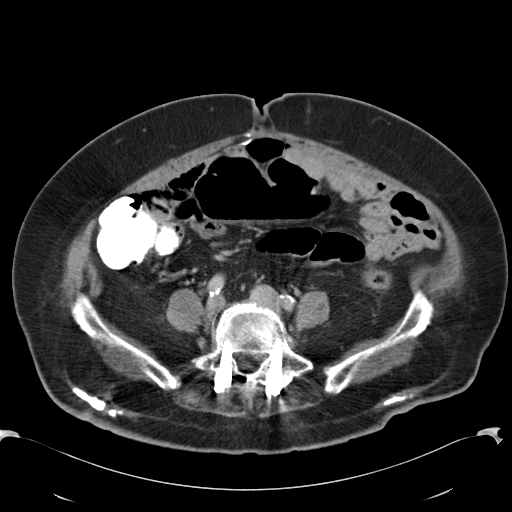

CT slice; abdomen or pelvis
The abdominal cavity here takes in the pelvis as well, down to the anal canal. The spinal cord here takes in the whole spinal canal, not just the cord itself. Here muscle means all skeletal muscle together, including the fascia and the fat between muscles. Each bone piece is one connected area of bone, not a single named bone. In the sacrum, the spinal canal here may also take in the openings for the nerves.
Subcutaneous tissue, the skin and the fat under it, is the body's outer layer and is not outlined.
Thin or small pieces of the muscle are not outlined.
Outlines:
bones 1: 248 300; 265 304; 279 314; 289 337; 288 345; 295 352; 312 361; 312 370; 299 376; 288 375; 278 379; 265 379; 253 390; 246 390; 244 379; 234 373; 202 370; 194 365; 192 358; 213 349; 212 329; 216 326; 221 313; 235 302 with a hole at 235 353; 242 353; 250 357; 254 357; 257 355; 263 355; 264 354; 267 354; 267 356; 264 357; 260 361; 260 362; 257 365; 255 369; 253 370; 245 370; 239 367; 238 365; 238 363; 237 362; 237 360; 234 356; 234 354
bones 2: 418 289; 420 289; 433 304; 433 315; 430 324; 417 336; 406 338; 363 360; 358 370; 345 388; 337 394; 326 393; 324 391; 324 382; 326 377; 323 372; 324 366; 334 364; 347 356; 373 346; 386 339; 399 325; 414 292
bones 3: 80 292; 85 293; 89 297; 98 312; 100 318; 113 333; 149 354; 166 366; 174 375; 178 377; 181 385; 176 389; 162 389; 141 370; 138 359; 129 351; 122 347; 110 346; 99 340; 93 339; 81 330; 74 321; 70 312; 71 305
abdominal cavity: 250 136; 284 139; 313 158; 412 192; 439 220; 443 255; 411 269; 411 298; 393 325; 337 358; 324 361; 295 351; 280 314; 248 299; 220 313; 203 353; 171 365; 98 310; 102 282; 90 248; 98 214; 114 198; 161 185 with a hole at 182 288; 187 288; 195 292; 200 298; 201 300; 201 303; 203 306; 204 316; 202 318; 202 321; 200 324; 200 326; 196 330; 192 331; 191 333; 186 331; 179 331; 173 328; 166 319; 166 308; 168 305; 168 301; 171 294; 174 291
torso: 288 92; 337 94; 395 113; 448 146; 485 186; 504 231; 508 285; 501 321; 472 383; 460 393; 394 415; 379 431; 265 455; 148 444; 61 409; 38 377; 11 286; 16 238; 39 190; 91 139; 154 106; 194 95; 238 93; 260 108
muscle 1: 251 128; 275 128; 346 152; 421 192; 441 209; 463 246; 464 275; 462 285; 442 301; 431 325; 434 304; 420 288; 412 295; 410 273; 417 265; 438 263; 444 255; 444 230; 432 209; 412 191; 313 157; 273 135; 237 140; 161 184; 118 195; 106 203; 97 214; 89 245; 101 282; 95 301; 97 310; 90 297; 80 291; 69 310; 78 327; 72 322; 63 298; 65 253; 100 204; 168 159
muscle 2: 99 312; 124 333; 148 346; 166 364; 173 366; 190 360; 202 371; 234 374; 242 379; 243 389; 246 391; 253 391; 265 380; 299 377; 312 371; 314 363; 310 358; 324 362; 337 359; 355 343; 381 337; 402 318; 396 328; 383 340; 323 366; 322 372; 325 376; 323 391; 333 395; 309 408; 260 418; 227 417; 178 406; 164 391; 178 389; 182 385; 179 377; 158 359; 113 332
muscle 3: 423 332; 419 340; 413 348; 413 355; 411 359; 407 363; 394 367; 389 372; 379 375; 370 380; 350 385; 347 387; 353 379; 355 374; 359 370; 363 361; 367 360; 376 353; 380 352; 382 350; 387 349; 406 339; 415 338
muscle 4: 182 288; 187 288; 195 292; 200 298; 201 300; 201 303; 203 306; 204 316; 202 318; 202 321; 200 324; 200 326; 196 330; 192 331; 191 333; 186 331; 179 331; 173 328; 166 319; 166 308; 168 305; 168 301; 171 294; 174 291
muscle 5: 84 332; 93 340; 99 341; 103 344; 107 345; 110 347; 119 347; 129 352; 137 359; 140 370; 148 378; 154 382; 156 385; 155 384; 149 383; 143 380; 132 380; 119 373; 116 373; 103 362; 100 355; 94 349; 89 340; 86 337
muscle 6: 316 290; 323 291; 326 293; 329 302; 329 315; 324 321; 322 321; 317 326; 311 328; 308 328; 307 329; 304 329; 301 331; 299 330; 296 326; 296 311; 298 307; 298 304; 300 301; 300 298; 304 294
spinal cord: 235 353; 242 353; 250 357; 254 357; 257 355; 263 355; 264 354; 267 354; 267 356; 264 357; 260 361; 260 362; 257 365; 255 369; 253 370; 245 370; 239 367; 238 365; 238 363; 237 362; 237 360; 234 356; 234 354